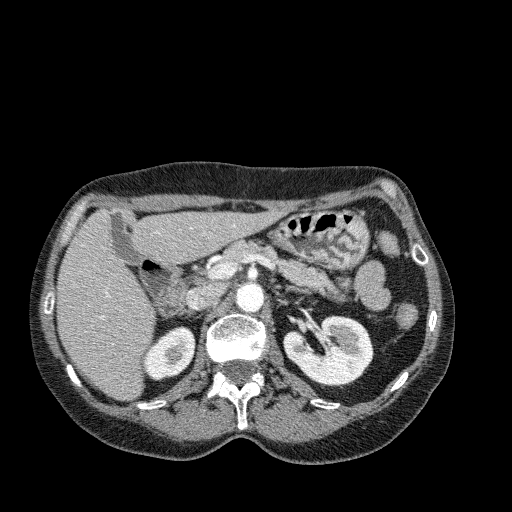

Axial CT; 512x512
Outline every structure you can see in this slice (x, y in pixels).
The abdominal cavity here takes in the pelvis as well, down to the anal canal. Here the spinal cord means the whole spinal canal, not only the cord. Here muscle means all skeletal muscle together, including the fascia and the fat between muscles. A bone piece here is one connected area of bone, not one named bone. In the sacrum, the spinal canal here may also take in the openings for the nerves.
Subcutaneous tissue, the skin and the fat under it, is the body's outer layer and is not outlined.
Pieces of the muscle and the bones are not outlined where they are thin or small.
{"abdominal_cavity":[[[366,198],[379,199],[401,221],[428,292],[417,356],[372,399],[346,405],[320,397],[285,366],[264,322],[237,311],[204,327],[191,369],[147,401],[129,405],[103,401],[66,360],[54,330],[53,277],[87,208],[162,213],[187,206],[249,203],[296,213]]],"spinal_cord":[[[233,360],[244,360],[245,361],[255,361],[255,365],[256,366],[256,370],[255,372],[254,372],[249,377],[249,380],[248,381],[245,382],[240,386],[238,386],[235,383],[232,382],[231,380],[224,374],[223,370],[222,369],[226,362],[228,361],[232,361]]],"bones":[{"outer":[[231,312],[246,314],[261,320],[269,339],[269,348],[259,362],[264,374],[264,385],[260,393],[247,402],[248,425],[243,430],[237,427],[236,407],[231,401],[218,395],[206,397],[212,376],[219,367],[219,364],[212,361],[206,352],[206,329],[217,318]],"hole":[[233,360],[244,360],[245,361],[255,361],[255,365],[256,366],[256,370],[255,372],[254,372],[249,377],[249,380],[248,381],[245,382],[240,386],[238,386],[235,383],[232,382],[231,380],[224,374],[223,370],[222,369],[226,362],[228,361],[232,361]]},[[91,194],[92,194],[92,196],[89,198],[85,210],[77,220],[77,222],[75,224],[75,226],[67,243],[63,247],[60,247],[59,246],[59,239],[62,232],[64,230],[66,222],[69,219],[72,213],[72,211],[75,208],[76,205],[83,198],[87,197]],[[415,242],[417,242],[423,248],[423,249],[425,251],[425,252],[428,256],[428,258],[429,259],[429,262],[428,264],[425,266],[421,266],[419,265],[413,259],[412,257],[412,254],[411,253],[411,245],[412,243],[414,243]],[[155,398],[157,398],[158,399],[164,399],[166,400],[167,402],[167,405],[165,406],[163,406],[159,408],[155,408],[154,409],[147,410],[146,409],[139,409],[135,405],[136,403],[138,402],[141,402],[142,401],[145,401],[147,402]],[[317,397],[322,398],[327,401],[332,401],[333,402],[339,402],[340,403],[340,406],[338,408],[336,408],[335,409],[325,409],[324,408],[318,408],[315,406],[313,406],[311,404],[310,404],[310,403],[309,402],[310,399],[311,399],[312,398],[316,398]],[[381,178],[385,178],[386,179],[387,179],[388,180],[389,180],[390,181],[393,182],[396,185],[396,188],[397,189],[397,195],[396,196],[396,198],[395,198],[394,199],[393,198],[390,197],[382,189],[382,188],[378,184],[378,181]],[[406,368],[408,371],[408,377],[407,378],[406,381],[404,383],[404,384],[402,386],[401,386],[399,388],[396,389],[394,391],[393,391],[392,392],[389,392],[389,389],[393,385],[394,382],[396,380],[396,379],[399,376],[399,374],[404,369],[405,369]],[[67,363],[69,363],[72,366],[72,367],[73,368],[74,371],[76,373],[77,376],[79,378],[79,379],[81,381],[81,382],[83,385],[83,386],[82,387],[79,387],[78,386],[77,386],[69,378],[69,377],[68,376],[68,375],[65,370],[65,366]]],"muscle":[[[383,175],[394,180],[405,193],[434,256],[441,281],[443,319],[432,365],[382,411],[324,438],[301,444],[274,441],[245,430],[249,425],[248,402],[265,385],[260,362],[270,348],[269,336],[274,339],[284,366],[317,394],[309,399],[309,404],[335,410],[341,404],[351,406],[372,400],[398,375],[388,392],[402,387],[409,377],[407,368],[422,348],[426,327],[430,333],[435,331],[438,314],[429,307],[423,268],[429,264],[429,256],[417,241],[410,241],[402,221],[379,198],[372,197],[296,212],[249,202],[142,211],[132,207],[87,207],[93,194],[83,197],[71,211],[58,239],[62,249],[53,272],[52,288],[42,303],[43,313],[52,318],[57,343],[67,362],[64,370],[68,378],[106,403],[134,405],[147,411],[165,407],[167,400],[158,396],[192,369],[205,328],[205,352],[218,364],[205,397],[218,396],[231,402],[239,430],[209,440],[174,442],[98,411],[67,382],[44,340],[38,305],[46,261],[57,230],[71,206],[86,192],[178,192],[284,199],[357,189],[378,180],[377,184],[394,200],[397,185]]],"torso":[[[189,160],[374,165],[408,186],[451,282],[455,329],[443,378],[417,416],[387,445],[355,459],[308,465],[278,459],[254,442],[236,438],[196,459],[162,459],[101,442],[79,427],[47,388],[33,356],[28,303],[39,252],[60,210],[79,187],[99,176]]]}